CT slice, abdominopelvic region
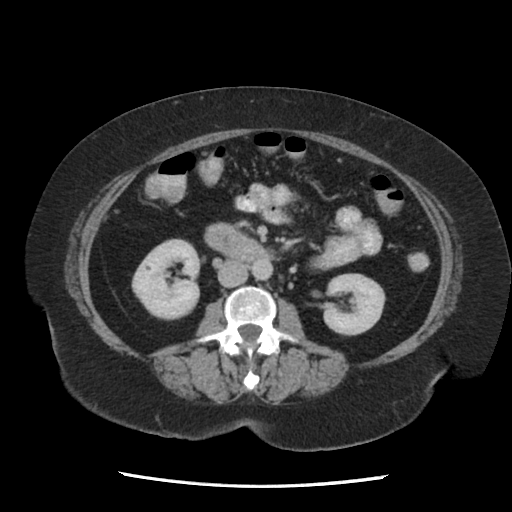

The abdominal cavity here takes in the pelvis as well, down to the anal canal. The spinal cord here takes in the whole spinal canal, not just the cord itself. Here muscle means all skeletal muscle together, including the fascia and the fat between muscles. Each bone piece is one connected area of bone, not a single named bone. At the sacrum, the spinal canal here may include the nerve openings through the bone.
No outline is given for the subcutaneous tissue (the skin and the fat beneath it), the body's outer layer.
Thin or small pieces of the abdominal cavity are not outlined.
The torso is outlined by 237,85 328,91 394,113 456,151 490,194 511,262 492,353 477,380 446,375 419,417 387,436 317,451 272,447 245,427 199,441 166,438 95,416 58,383 47,322 26,297 22,269 52,172 79,140 127,110. The bones are outlined by 246,285 261,287 271,294 276,304 273,326 298,340 297,343 281,340 277,354 253,354 251,367 259,381 251,390 243,384 250,366 243,349 238,355 230,355 219,351 217,340 197,341 226,326 225,299 233,290; inner edge: 247,324 252,324 253,325 256,325 257,326 259,326 261,328 261,331 258,335 258,336 253,341 251,342 249,341 246,341 242,337 242,336 240,334 238,330 238,328 240,326 242,326 243,325 246,325. The spinal cord is outlined by 247,324 252,324 253,325 256,325 257,326 259,326 261,328 261,331 258,335 258,336 253,341 251,342 249,341 246,341 242,337 242,336 240,334 238,330 238,328 240,326 242,326 243,325 246,325. The abdominal cavity is outlined by 260,131 292,133 379,165 413,193 437,237 440,273 411,335 352,362 309,339 296,306 284,297 276,298 276,328 275,299 253,284 208,302 192,338 152,351 134,347 101,317 90,292 90,252 117,198 148,166. The muscle is outlined by 264,126 285,127 292,129 318,131 348,140 363,147 380,158 389,162 402,172 415,178 430,190 440,201 453,219 453,225 458,234 458,239 461,244 461,252 463,256 463,272 461,279 461,291 457,296 455,310 445,319 444,323 427,340 418,346 414,351 404,355 396,360 384,363 378,366 373,366 370,368 366,368 362,370 356,369 354,371 349,371 343,380 336,387 331,391 318,397 313,397 311,399 307,399 301,403 292,403 283,405 268,405 260,401 255,396 252,397 251,395 248,394 244,394 234,402 222,405 214,405 187,400 177,396 161,384 146,363 131,355 121,354 114,349 112,349 95,333 88,324 86,318 80,313 74,299 70,296 66,289 64,280 63,267 67,249 69,245 70,231 81,210 87,205 90,200 96,195 99,190 105,184 120,173 143,163 155,154 166,148 176,145 185,140 210,132 226,130 232,128 252,128 with a hole at 260,131 292,133 393,173 413,193 431,223 439,246 440,273 421,325 385,351 356,362 309,339 296,306 278,296 277,329 298,342 281,340 277,354 255,352 251,367 259,381 249,390 243,384 250,366 243,349 230,355 219,351 217,340 197,341 226,326 221,309 224,296 205,305 192,338 144,351 115,333 96,309 89,260 108,210 142,170 177,153.